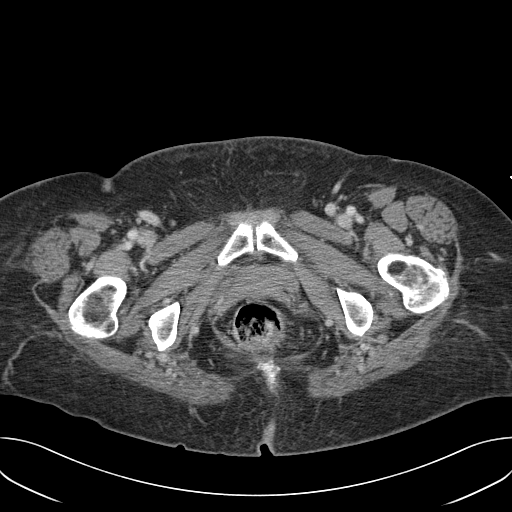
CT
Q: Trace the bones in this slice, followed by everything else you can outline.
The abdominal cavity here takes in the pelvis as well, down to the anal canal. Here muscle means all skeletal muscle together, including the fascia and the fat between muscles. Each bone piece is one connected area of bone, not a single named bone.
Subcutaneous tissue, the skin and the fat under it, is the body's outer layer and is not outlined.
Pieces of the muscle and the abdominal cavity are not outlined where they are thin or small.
A: Outlines (x, y in pixels):
bones 1: 389 252; 401 253; 405 255; 410 254; 417 255; 423 258; 435 267; 442 268; 445 271; 448 280; 449 286; 448 297; 441 304; 433 309; 421 314; 416 314; 408 310; 403 304; 402 295; 400 291; 384 281; 377 270; 378 260; 382 256
bones 2: 103 275; 111 275; 112 276; 120 277; 125 281; 127 285; 127 293; 126 296; 119 306; 116 313; 118 320; 117 330; 114 334; 105 338; 86 337; 74 332; 70 328; 70 324; 68 321; 67 312; 74 299; 82 290; 99 276; 102 276
bones 3: 262 220; 267 220; 272 224; 274 228; 297 251; 297 260; 295 262; 284 261; 278 256; 271 253; 263 251; 258 253; 256 251; 254 253; 244 253; 236 257; 227 265; 219 267; 217 264; 217 255; 235 229; 238 222; 247 221; 254 226
bones 4: 336 287; 340 287; 348 291; 350 290; 357 291; 361 293; 371 303; 373 308; 373 318; 372 319; 370 327; 362 336; 357 336; 356 335; 354 335; 348 330; 345 324; 344 314; 343 313; 343 310; 337 294; 337 291; 335 288
bones 5: 174 301; 178 301; 180 305; 180 311; 179 312; 179 317; 178 318; 178 323; 177 324; 177 335; 176 336; 176 339; 169 347; 163 351; 159 351; 157 349; 157 346; 152 338; 152 336; 151 335; 151 331; 148 326; 148 319; 155 311
bones 6: 263 362; 273 362; 278 367; 280 367; 280 370; 276 375; 276 380; 277 381; 277 385; 276 385; 273 388; 272 390; 269 389; 269 388; 267 386; 265 382; 265 377; 262 373; 262 371; 257 368; 257 364; 258 363; 262 363
muscle: 381 184; 435 190; 435 196; 450 208; 458 225; 461 289; 449 309; 440 344; 425 358; 340 397; 310 398; 302 390; 305 380; 289 374; 284 378; 285 394; 274 402; 249 376; 234 388; 229 403; 189 407; 109 373; 74 352; 34 298; 32 274; 20 266; 32 234; 55 216; 71 211; 110 214; 122 245; 132 254; 198 220; 247 206; 302 209; 345 232; 360 234; 369 218; 367 194; inner edges: 262 220; 272 224; 297 251; 297 260; 287 263; 299 283; 300 309; 317 321; 319 328; 317 339; 307 350; 280 359; 277 355; 258 357; 242 349; 224 332; 217 331; 211 314; 217 286; 226 267; 218 266; 218 253; 239 221; 254 226, then 389 252; 401 253; 405 255; 410 254; 417 255; 423 258; 435 267; 442 268; 445 271; 448 280; 449 286; 448 297; 441 304; 433 309; 421 314; 416 314; 408 310; 403 304; 402 295; 400 291; 384 281; 377 270; 378 260; 382 256, then 103 275; 111 275; 112 276; 120 277; 125 281; 127 285; 127 293; 126 296; 119 306; 116 313; 118 320; 117 330; 114 334; 105 338; 86 337; 74 332; 70 328; 70 324; 68 321; 67 312; 74 299; 82 290; 99 276; 102 276, then 336 287; 340 287; 348 291; 350 290; 357 291; 361 293; 371 303; 373 308; 373 318; 372 319; 370 327; 362 336; 357 336; 356 335; 354 335; 348 330; 345 324; 344 314; 343 313; 343 310; 337 294; 337 291; 335 288, then 174 301; 178 301; 180 305; 180 311; 179 312; 179 317; 178 318; 178 323; 177 324; 177 335; 176 336; 176 339; 169 347; 163 351; 159 351; 157 349; 157 346; 152 338; 152 336; 151 335; 151 331; 148 326; 148 319; 155 311, then 205 322; 207 322; 209 324; 211 331; 217 340; 218 346; 222 352; 223 358; 225 360; 228 369; 230 370; 228 371; 210 370; 203 367; 196 360; 190 350; 190 348; 194 345; 194 341; 199 336; 199 333; 202 329; 202 324, then 258 362; 259 363; 262 363; 263 362; 273 362; 278 367; 280 367; 280 370; 276 375; 276 380; 277 381; 277 385; 276 385; 273 388; 272 390; 269 389; 269 388; 267 386; 265 382; 265 377; 262 373; 262 371; 257 368; 257 364, then 332 338; 334 340; 336 340; 338 342; 338 345; 337 347; 330 354; 330 355; 327 358; 319 358; 317 356; 317 353; 319 351; 321 351; 322 350; 322 348; 324 346; 326 345; 328 345; 330 343; 331 341; 331 339
torso: 259 135; 315 139; 359 153; 425 163; 469 182; 511 218; 511 396; 474 401; 409 429; 354 445; 275 456; 262 444; 259 456; 232 456; 142 440; 69 415; 51 404; 0 395; 0 197; 35 181; 74 171; 110 176; 141 155; 174 145
abdominal cavity: 263 252; 288 262; 293 269; 293 275; 299 283; 300 309; 314 322; 317 321; 319 328; 317 339; 307 350; 280 359; 277 355; 258 357; 242 349; 224 332; 217 331; 211 314; 211 308; 218 291; 217 286; 226 266; 244 254; 260 254